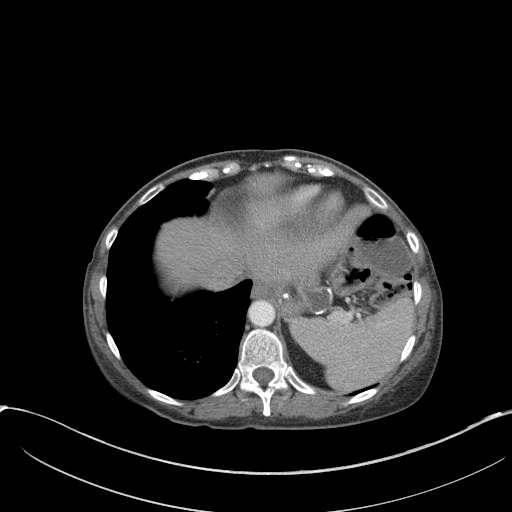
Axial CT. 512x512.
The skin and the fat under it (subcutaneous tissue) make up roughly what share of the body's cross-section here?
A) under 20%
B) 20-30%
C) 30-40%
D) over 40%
A) under 20%
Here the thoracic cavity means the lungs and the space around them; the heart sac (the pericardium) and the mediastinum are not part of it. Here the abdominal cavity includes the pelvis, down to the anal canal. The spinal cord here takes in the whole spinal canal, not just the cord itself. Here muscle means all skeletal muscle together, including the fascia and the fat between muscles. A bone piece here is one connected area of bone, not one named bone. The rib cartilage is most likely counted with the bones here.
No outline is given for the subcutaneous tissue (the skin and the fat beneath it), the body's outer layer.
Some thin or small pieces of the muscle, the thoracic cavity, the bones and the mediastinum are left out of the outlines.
{"spinal_cord":[[[261,367],[265,367],[266,368],[267,368],[268,369],[269,369],[270,370],[271,370],[273,372],[273,376],[272,377],[272,378],[265,385],[261,385],[254,378],[254,377],[253,376],[253,372],[254,371],[254,370],[255,370],[258,368],[260,368]]],"mediastinum":[[[253,282],[254,284],[257,284],[258,286],[261,287],[263,291],[269,296],[271,301],[273,302],[273,304],[275,306],[275,323],[273,325],[273,331],[266,328],[261,328],[260,327],[253,328],[242,339],[245,328],[246,312],[250,303],[250,292],[253,285]],[[240,172],[245,172],[243,176],[237,181],[224,187],[223,189],[217,194],[215,198],[212,201],[211,203],[211,207],[209,211],[206,213],[209,207],[209,202],[206,198],[206,196],[213,186],[212,183],[208,181],[213,179],[221,178],[225,176],[232,176]],[[288,170],[294,172],[299,172],[300,173],[308,174],[309,175],[314,177],[334,177],[335,176],[338,178],[341,178],[353,184],[359,189],[362,192],[366,199],[365,201],[354,201],[351,195],[351,193],[346,188],[336,181],[320,179],[319,177],[306,177],[300,176],[290,173]]],"bones":[{"outer":[[257,328],[278,337],[285,361],[316,390],[308,394],[290,384],[287,398],[283,398],[284,390],[276,390],[269,401],[268,416],[262,413],[261,398],[256,393],[243,392],[246,399],[242,401],[237,395],[238,386],[218,396],[210,395],[230,379],[242,340]],"hole":[[261,367],[265,367],[266,368],[267,368],[268,369],[269,369],[270,370],[271,370],[273,372],[273,376],[272,377],[272,378],[265,385],[261,385],[254,378],[254,377],[253,376],[253,372],[254,371],[254,370],[255,370],[258,368],[260,368]]},[[230,162],[236,162],[238,163],[241,167],[241,170],[235,174],[229,175],[228,174],[225,174],[219,172],[216,176],[209,180],[203,180],[202,179],[189,179],[187,177],[188,175],[196,171],[199,171],[203,169],[214,168],[220,170],[226,164]],[[364,186],[369,186],[371,187],[374,190],[375,190],[385,200],[385,201],[388,205],[388,208],[385,211],[383,211],[381,209],[380,209],[379,207],[374,205],[373,203],[370,202],[366,198],[366,197],[364,195],[362,191],[362,188]],[[306,164],[319,164],[320,165],[323,165],[324,166],[327,166],[329,168],[330,168],[334,172],[334,173],[335,174],[334,175],[334,176],[314,176],[313,175],[311,175],[310,174],[309,174],[307,172],[307,170],[305,168],[305,165]],[[374,386],[376,386],[378,387],[378,390],[377,392],[372,396],[364,400],[362,400],[358,402],[355,402],[354,403],[351,403],[345,406],[344,406],[342,404],[351,396],[353,396],[362,391],[364,391]],[[147,388],[151,388],[163,394],[165,394],[172,398],[177,399],[181,401],[183,403],[183,405],[181,406],[178,406],[177,405],[174,405],[173,404],[169,404],[168,403],[166,403],[165,402],[160,401],[154,398],[149,393],[148,393],[146,390]],[[157,183],[161,183],[163,185],[164,185],[165,187],[161,191],[160,191],[157,194],[156,194],[147,202],[144,203],[142,205],[140,205],[138,206],[137,203],[140,197],[148,189],[149,189],[152,186],[153,186]],[[285,155],[294,155],[295,156],[296,156],[298,158],[298,160],[302,164],[302,165],[303,166],[301,168],[298,168],[296,170],[296,171],[294,171],[293,170],[291,170],[290,169],[288,169],[285,167],[283,167],[282,166],[282,163],[283,162],[283,157]],[[412,334],[414,334],[416,337],[416,338],[415,339],[415,341],[414,342],[414,344],[413,345],[413,347],[412,348],[410,353],[408,355],[408,356],[402,362],[399,362],[399,358],[400,357],[400,355],[402,352],[402,350],[403,349],[408,338]],[[409,229],[414,232],[414,233],[416,235],[416,236],[418,239],[418,242],[419,243],[419,248],[418,249],[418,252],[417,253],[413,253],[413,252],[412,251],[412,250],[410,248],[410,246],[407,241],[407,239],[406,238],[406,233],[407,232],[407,231]],[[107,331],[108,331],[110,333],[110,334],[119,351],[119,353],[120,354],[120,355],[121,356],[121,358],[122,359],[121,360],[119,360],[114,355],[114,354],[110,349],[110,348],[107,343],[107,341],[106,340],[106,337],[105,336],[105,332],[106,332]],[[115,226],[118,228],[118,231],[117,232],[117,235],[116,236],[113,243],[111,245],[109,250],[108,250],[107,249],[106,249],[106,247],[105,246],[105,240],[106,239],[106,236],[107,235],[107,234],[109,232],[109,231],[113,227],[114,227]],[[103,274],[106,275],[106,279],[107,280],[107,286],[106,287],[106,296],[105,297],[105,299],[104,299],[103,298],[103,297],[102,296],[102,295],[100,292],[100,290],[99,289],[99,279],[100,278],[101,275],[102,275]]],"thoracic_cavity":[[[184,178],[211,183],[205,196],[208,207],[200,215],[179,215],[159,225],[150,254],[157,287],[174,302],[195,292],[219,292],[247,279],[252,282],[232,374],[211,393],[192,399],[148,387],[132,372],[109,331],[106,309],[109,253],[119,229],[138,207]]],"pericardium":[[[294,176],[333,181],[350,193],[353,200],[352,205],[343,216],[325,231],[301,234],[287,229],[280,229],[273,234],[254,235],[238,231],[232,222],[230,212],[225,207],[211,209],[212,203],[218,194],[224,188],[236,182],[255,190],[272,191],[288,184]]],"torso":[[[284,147],[323,153],[357,169],[378,184],[421,231],[443,299],[441,350],[426,391],[413,405],[397,414],[327,430],[194,428],[172,423],[148,409],[132,405],[107,383],[92,358],[84,334],[81,303],[83,277],[102,228],[140,186],[179,162],[227,149]]],"abdominal_cavity":[[[366,200],[393,220],[413,254],[415,323],[398,360],[375,385],[338,395],[302,380],[286,361],[274,331],[274,302],[249,278],[174,301],[157,285],[153,242],[160,225],[172,218],[225,208],[238,232],[264,236],[287,230],[310,235],[329,230],[354,202]],[[271,166],[280,166],[285,168],[290,174],[295,175],[295,176],[294,175],[292,177],[291,180],[288,183],[278,189],[273,189],[272,190],[255,189],[238,182],[244,176],[246,172],[241,171],[243,170],[253,171],[258,168],[262,167],[268,168]]],"muscle":[[[386,200],[416,231],[423,247],[435,301],[434,330],[427,354],[377,402],[319,419],[266,417],[271,414],[273,394],[284,391],[282,398],[289,398],[290,385],[308,395],[321,390],[347,396],[341,404],[344,407],[364,401],[378,392],[376,385],[396,363],[402,363],[411,353],[417,338],[412,333],[416,305],[422,296],[422,285],[414,279],[414,254],[419,252],[420,243],[413,230],[409,228],[404,234],[386,212],[389,208]],[[138,198],[137,208],[119,228],[113,226],[104,240],[105,249],[109,251],[108,261],[106,274],[101,274],[98,279],[98,289],[105,300],[108,330],[104,336],[109,349],[147,387],[146,392],[160,402],[181,407],[184,403],[180,400],[208,395],[218,397],[238,387],[236,395],[242,402],[247,399],[243,393],[253,393],[260,398],[264,416],[230,416],[218,420],[187,417],[137,391],[94,342],[89,329],[87,291],[101,238]],[[280,156],[283,156],[281,166],[280,165],[271,165],[268,162],[265,162],[263,164],[263,166],[261,167],[257,168],[255,166],[251,166],[249,169],[243,169],[242,170],[242,167],[238,162],[230,161],[226,163],[220,169],[214,167],[209,167],[196,170],[188,174],[186,177],[174,181],[166,186],[161,182],[159,182],[180,171],[211,163],[214,161],[221,161],[227,159],[238,159],[248,162],[259,162],[266,160],[273,160]],[[295,155],[317,158],[332,163],[350,174],[360,178],[368,185],[364,185],[361,188],[361,190],[346,179],[336,176],[335,172],[327,165],[319,163],[306,163],[304,165],[304,168],[307,173],[297,171],[298,169],[301,169],[304,166],[299,160],[299,158]]]}